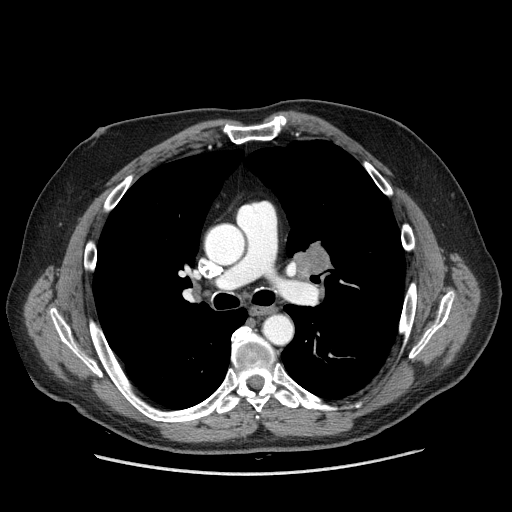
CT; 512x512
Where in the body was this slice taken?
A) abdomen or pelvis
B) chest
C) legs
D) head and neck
B) chest
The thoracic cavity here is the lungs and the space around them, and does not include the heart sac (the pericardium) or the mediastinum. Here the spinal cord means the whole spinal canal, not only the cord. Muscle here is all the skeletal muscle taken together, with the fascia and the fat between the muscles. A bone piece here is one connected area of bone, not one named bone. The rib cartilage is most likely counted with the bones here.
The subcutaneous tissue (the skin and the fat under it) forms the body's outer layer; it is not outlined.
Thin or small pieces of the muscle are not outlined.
Outlines (x, y in pixels):
bones 1: 90 318; 99 323; 135 391; 164 410; 194 406; 218 388; 231 364; 231 336; 243 325; 272 347; 287 374; 307 391; 338 407; 362 404; 325 411; 288 407; 271 396; 256 419; 256 410; 242 397; 227 412; 157 421; 131 404; 106 372, around a hole outlined by 254 375; 258 375; 259 376; 260 376; 263 379; 263 384; 262 385; 261 388; 260 388; 257 390; 251 388; 248 385; 248 384; 247 383; 247 381; 248 380; 248 379; 250 377; 251 377
bones 2: 278 114; 284 115; 287 118; 288 123; 283 129; 282 132; 271 140; 267 141; 250 140; 240 144; 236 144; 230 141; 227 136; 221 130; 225 123; 233 124; 234 125; 247 125; 248 124; 255 124; 261 122; 267 122; 271 120; 274 116
bones 3: 52 307; 56 308; 57 311; 68 324; 71 329; 73 337; 79 347; 90 357; 93 358; 95 360; 98 367; 101 370; 103 374; 102 377; 99 377; 93 373; 92 371; 61 340; 55 328; 53 321; 50 315; 48 313; 48 310
bones 4: 450 290; 453 290; 454 291; 455 297; 452 302; 451 308; 447 319; 445 321; 444 324; 437 329; 431 336; 427 343; 419 353; 412 359; 410 359; 408 357; 408 354; 410 350; 420 339; 425 330; 433 323; 436 316; 436 313; 441 298
bones 5: 411 281; 414 281; 416 284; 417 298; 416 299; 415 313; 413 318; 413 323; 411 327; 411 330; 407 342; 403 349; 401 355; 399 357; 399 351; 400 350; 403 336; 398 334; 398 327; 399 326; 399 321; 402 312; 405 292
bones 6: 129 174; 133 174; 134 176; 133 177; 133 180; 132 181; 132 183; 123 194; 123 195; 118 201; 116 205; 108 213; 106 213; 104 212; 103 210; 103 204; 107 196; 110 193; 112 189; 127 175
bones 7: 363 160; 367 160; 370 163; 371 163; 371 164; 384 177; 384 178; 387 181; 387 182; 391 186; 392 190; 393 191; 393 194; 390 197; 388 197; 386 195; 385 195; 377 186; 373 179; 362 165; 361 163
bones 8: 90 239; 93 240; 96 243; 96 261; 95 262; 95 268; 94 269; 93 272; 90 272; 89 271; 87 271; 86 270; 85 270; 85 269; 84 268; 84 249; 85 248; 85 245; 86 244; 87 241
bones 9: 403 222; 407 222; 411 226; 412 228; 412 230; 413 231; 413 235; 414 236; 414 241; 415 243; 414 244; 414 248; 411 251; 409 252; 406 252; 404 250; 403 248; 403 246; 402 245; 400 227; 401 226; 401 224
muscle: 289 109; 325 119; 383 163; 421 209; 435 236; 456 252; 476 277; 481 300; 471 331; 455 359; 439 374; 370 412; 347 431; 318 437; 278 437; 261 425; 244 437; 217 442; 181 442; 162 437; 157 430; 107 409; 56 377; 39 356; 23 321; 23 305; 36 280; 69 241; 79 217; 116 172; 148 148; 194 123; 230 118; 247 124; 225 122; 220 130; 228 139; 188 147; 133 182; 135 176; 129 173; 106 196; 102 210; 107 215; 97 243; 90 238; 83 249; 83 268; 92 273; 98 319; 90 317; 87 323; 98 359; 124 398; 157 422; 188 422; 213 412; 227 413; 242 398; 255 410; 256 420; 271 397; 288 408; 301 406; 325 412; 362 406; 360 399; 341 406; 328 401; 348 398; 367 386; 384 365; 398 335; 402 336; 398 357; 402 355; 418 298; 414 280; 405 288; 405 252; 415 248; 414 231; 407 221; 398 225; 389 199; 394 194; 393 188; 367 159; 360 162; 334 141; 317 134; 282 133; 289 123; 282 113; 262 121; 276 111, around holes outlined by 52 307; 56 308; 57 311; 68 324; 71 329; 73 337; 79 347; 90 357; 93 358; 95 360; 98 367; 101 370; 103 374; 102 377; 99 377; 93 373; 92 371; 61 340; 55 328; 53 321; 50 315; 48 313; 48 310 and by 450 290; 453 290; 454 291; 455 297; 452 302; 451 308; 447 319; 445 321; 444 324; 437 329; 431 336; 427 343; 419 353; 412 359; 410 359; 408 357; 408 354; 410 350; 420 339; 425 330; 433 323; 436 316; 436 313; 441 298
spinal cord: 254 375; 258 375; 259 376; 260 376; 263 379; 263 384; 262 385; 261 388; 260 388; 257 390; 251 388; 248 385; 248 384; 247 383; 247 381; 248 380; 248 379; 250 377; 251 377
torso: 297 98; 333 101; 392 117; 425 141; 454 175; 497 266; 502 288; 495 328; 469 372; 396 425; 364 441; 315 451; 234 455; 186 455; 144 447; 41 392; 16 346; 5 301; 30 211; 68 153; 98 127; 120 120; 191 108; 251 108
thoracic cavity 1: 314 135; 334 142; 355 158; 388 198; 404 251; 405 291; 389 354; 361 390; 327 401; 294 380; 280 361; 296 332; 293 319; 284 309; 299 292; 296 263; 286 251; 291 226; 277 197; 245 164; 246 157; 258 149; 286 146; 292 140
thoracic cavity 2: 236 148; 243 150; 243 157; 223 180; 205 216; 193 261; 193 273; 200 293; 214 309; 244 308; 247 317; 230 336; 230 364; 217 388; 194 405; 164 409; 153 405; 137 392; 99 322; 92 288; 97 244; 108 214; 146 172; 175 156
mediastinum: 294 132; 313 137; 261 147; 244 159; 246 168; 276 197; 290 226; 285 251; 295 263; 298 292; 283 309; 295 332; 279 360; 273 347; 244 324; 247 310; 214 308; 194 273; 206 216; 244 150; 177 155; 216 140; 240 145